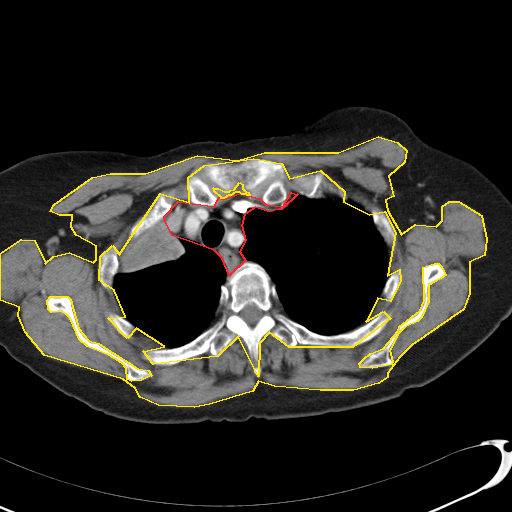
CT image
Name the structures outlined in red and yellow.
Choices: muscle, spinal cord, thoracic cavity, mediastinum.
red: mediastinum; yellow: muscle.
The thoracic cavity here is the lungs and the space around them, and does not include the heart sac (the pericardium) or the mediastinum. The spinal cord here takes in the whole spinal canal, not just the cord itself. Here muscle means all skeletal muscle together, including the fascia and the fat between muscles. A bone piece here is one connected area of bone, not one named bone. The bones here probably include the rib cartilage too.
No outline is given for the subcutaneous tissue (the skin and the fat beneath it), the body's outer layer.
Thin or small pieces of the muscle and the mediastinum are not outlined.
The mediastinum is outlined by (291, 192) (297, 194) (281, 209) (267, 211) (255, 207) (244, 214) (241, 225) (245, 240) (239, 251) (245, 260) (229, 275) (222, 258) (214, 250) (172, 235) (165, 221) (164, 216) (178, 201) (214, 206) (219, 197) (223, 199) (239, 193) (259, 198) (265, 204) (283, 206). The muscle appears in 2 outlined pieces: piece 1: (378, 136) (397, 142) (406, 150) (404, 162) (388, 176) (393, 196) (385, 200) (387, 210) (401, 234) (415, 224) (436, 226) (442, 220) (442, 206) (449, 201) (458, 201) (481, 215) (486, 239) (484, 255) (469, 262) (469, 293) (463, 309) (411, 345) (399, 357) (387, 373) (387, 377) (378, 383) (353, 390) (320, 390) (274, 386) (258, 381) (252, 391) (209, 404) (194, 407) (158, 405) (140, 397) (135, 388) (123, 379) (44, 355) (25, 332) (18, 315) (19, 307) (0, 300) (0, 253) (21, 239) (34, 240) (45, 263) (53, 256) (69, 252) (93, 262) (96, 259) (96, 246) (76, 235) (71, 227) (72, 215) (59, 215) (50, 211) (54, 204) (92, 177) (110, 173) (145, 173) (197, 155) (237, 160) (264, 152) (338, 152); inner edges: (253, 158) (281, 163) (289, 178) (320, 170) (344, 191) (343, 201) (369, 214) (384, 211) (395, 232) (387, 275) (399, 269) (400, 280) (390, 301) (377, 298) (366, 321) (383, 311) (390, 318) (352, 347) (289, 347) (269, 332) (259, 343) (258, 376) (238, 336) (217, 356) (153, 364) (143, 351) (164, 346) (136, 328) (127, 338) (108, 318) (125, 316) (114, 290) (99, 280) (100, 256) (112, 245) (119, 254) (160, 193) (189, 202) (188, 177) (204, 165), then (434, 263) (438, 263) (441, 266) (445, 275) (428, 285) (428, 301) (421, 317) (417, 321) (404, 327) (398, 333) (389, 350) (392, 361) (391, 364) (372, 368) (360, 367) (359, 363) (364, 358) (370, 353) (383, 348) (398, 330) (399, 326) (420, 310) (424, 300) (423, 267), then (50, 296) (67, 296) (70, 299) (78, 328) (88, 340) (98, 343) (137, 368) (148, 370) (151, 375) (141, 380) (131, 381) (127, 379) (126, 368) (122, 363) (109, 355) (87, 346) (79, 339) (70, 318) (66, 314) (60, 311) (51, 312) (48, 309) (47, 300); piece 2: (239, 182) (242, 184) (242, 188) (245, 191) (248, 192) (249, 195) (247, 195) (246, 194) (242, 194) (239, 192) (235, 192) (230, 195) (228, 195) (223, 198) (221, 198) (221, 197) (214, 191) (214, 189) (213, 188) (218, 188) (224, 191) (229, 191) (230, 190) (234, 189). The spinal cord is outlined by (250, 305) (254, 305) (257, 308) (258, 308) (262, 311) (262, 315) (260, 317) (260, 318) (258, 320) (258, 321) (255, 324) (255, 325) (252, 327) (251, 326) (250, 326) (242, 318) (242, 317) (239, 314) (239, 313) (245, 307) (246, 307) (247, 306) (249, 306). The bones appear in 9 outlined pieces: piece 1: (246, 260) (259, 264) (275, 285) (274, 307) (313, 332) (344, 333) (383, 311) (390, 318) (379, 333) (352, 347) (289, 347) (269, 332) (259, 343) (258, 376) (238, 336) (217, 356) (207, 351) (171, 365) (153, 364) (143, 357) (144, 350) (184, 345) (219, 318) (221, 285); inner edge: (250, 305) (254, 305) (257, 308) (258, 308) (262, 311) (262, 315) (260, 317) (260, 318) (258, 320) (258, 321) (255, 324) (255, 325) (252, 327) (251, 326) (250, 326) (242, 318) (242, 317) (239, 314) (239, 313) (245, 307) (246, 307) (247, 306) (249, 306); piece 2: (253, 158) (281, 163) (289, 178) (320, 170) (344, 191) (346, 198) (329, 195) (310, 198) (286, 184) (287, 197) (283, 205) (269, 204) (251, 196) (239, 181) (229, 190) (213, 187) (218, 195) (214, 205) (192, 203) (186, 188) (191, 174) (199, 172) (207, 163) (233, 163); piece 3: (434, 263) (438, 263) (441, 266) (445, 275) (428, 285) (428, 301) (421, 317) (417, 321) (404, 327) (398, 333) (389, 350) (392, 361) (391, 364) (372, 368) (360, 367) (359, 363) (364, 358) (370, 353) (383, 348) (398, 330) (399, 326) (420, 310) (424, 300) (423, 267); piece 4: (50, 296) (67, 296) (70, 299) (78, 328) (88, 340) (98, 343) (137, 368) (148, 370) (151, 375) (141, 380) (131, 381) (127, 379) (126, 368) (122, 363) (109, 355) (87, 346) (79, 339) (70, 318) (66, 314) (60, 311) (51, 312) (48, 309) (47, 300); piece 5: (169, 192) (172, 192) (173, 193) (171, 196) (172, 204) (167, 212) (159, 220) (158, 220) (152, 225) (143, 229) (136, 234) (134, 234) (133, 235) (131, 234) (130, 232) (135, 222) (142, 215) (146, 213) (152, 207) (152, 205) (157, 196) (160, 193) (168, 193); piece 6: (112, 245) (116, 248) (116, 251) (117, 252) (117, 260) (118, 261) (118, 268) (115, 272) (115, 274) (113, 277) (113, 282) (112, 283) (112, 289) (109, 290) (105, 288) (101, 284) (99, 280) (99, 277) (98, 276) (98, 265) (99, 264) (100, 256) (102, 254) (102, 253); piece 7: (373, 208) (379, 208) (383, 210) (389, 218) (392, 224) (392, 227) (395, 232) (395, 244) (393, 247) (391, 245) (388, 245) (385, 242) (384, 239) (382, 237) (379, 231) (377, 229) (376, 226) (374, 224) (373, 222) (373, 219) (371, 215) (371, 211); piece 8: (110, 312) (115, 313) (116, 314) (125, 318) (128, 321) (129, 321) (134, 326) (135, 329) (131, 332) (131, 337) (130, 338) (127, 338) (126, 337) (123, 336) (120, 333) (119, 333) (117, 331) (117, 330) (112, 325) (112, 324) (110, 322) (110, 321) (108, 318) (108, 314); piece 9: (397, 269) (399, 269) (400, 270) (400, 280) (399, 281) (399, 285) (392, 299) (390, 301) (388, 301) (386, 299) (386, 298) (383, 295) (381, 294) (382, 293) (382, 290) (384, 287) (384, 285) (388, 277) (391, 274) (391, 273) (392, 273) (395, 270). The thoracic cavity appears in 2 outlined pieces: piece 1: (298, 194) (310, 199) (329, 196) (360, 206) (370, 214) (387, 246) (388, 276) (381, 293) (366, 321) (350, 330) (323, 334) (289, 317) (279, 301) (276, 285) (266, 270) (241, 254) (240, 248) (246, 240) (242, 220) (248, 210) (258, 208) (275, 212) (287, 207); piece 2: (164, 217) (167, 229) (172, 236) (180, 240) (182, 238) (187, 239) (203, 248) (214, 251) (221, 258) (227, 275) (219, 288) (218, 306) (213, 321) (193, 339) (173, 347) (163, 347) (159, 341) (138, 330) (124, 317) (113, 289) (114, 277) (120, 262) (119, 252) (132, 236). The torso is outlined by (347, 105) (394, 113) (427, 144) (475, 166) (511, 202) (511, 314) (449, 371) (397, 398) (340, 412) (275, 420) (252, 417) (244, 422) (149, 424) (106, 415) (67, 396) (0, 346) (1, 170) (27, 157) (55, 151) (95, 149) (153, 155) (193, 141) (236, 142) (283, 135).